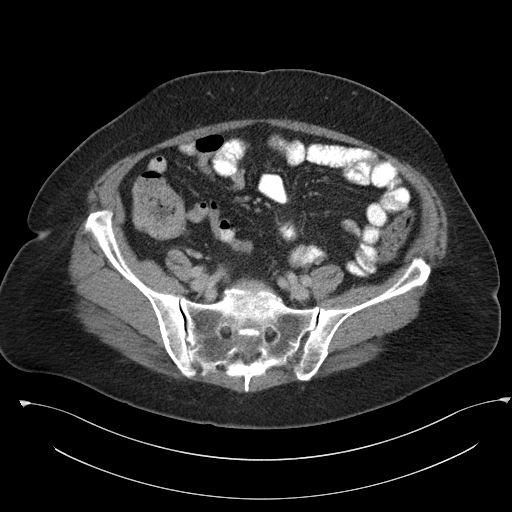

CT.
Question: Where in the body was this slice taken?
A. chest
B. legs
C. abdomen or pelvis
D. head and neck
Answer: C. abdomen or pelvis
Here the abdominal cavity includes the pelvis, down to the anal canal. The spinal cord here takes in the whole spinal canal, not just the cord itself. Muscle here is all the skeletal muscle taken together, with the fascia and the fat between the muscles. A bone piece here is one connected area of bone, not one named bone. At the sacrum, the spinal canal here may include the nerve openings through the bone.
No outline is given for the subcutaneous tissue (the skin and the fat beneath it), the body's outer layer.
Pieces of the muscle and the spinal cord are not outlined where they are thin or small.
The torso is outlined by 277,68 331,73 371,87 407,110 437,141 496,257 501,329 491,354 386,406 328,423 281,429 171,418 74,380 9,364 0,354 0,282 19,248 36,235 27,226 27,214 53,169 92,132 167,80 207,70. The abdominal cavity is outlined by 257,123 369,149 414,188 419,230 386,279 331,295 344,272 327,263 310,272 312,307 290,307 253,278 202,303 184,296 180,280 190,278 192,264 177,247 166,252 167,271 137,257 122,227 119,191 134,165. The spinal cord is outlined by 249,352 253,352 254,353 257,353 258,354 258,355 257,356 257,357 253,361 252,361 250,363 249,363 248,364 247,364 246,363 245,363 244,362 243,362 243,361 241,358 241,356 243,354 246,354. The muscle appears in 2 outlined pieces: piece 1: 247,118 288,118 323,126 367,142 409,163 431,182 440,196 447,215 448,241 445,257 431,272 418,315 395,335 390,347 358,366 310,380 327,357 337,329 348,317 420,287 429,278 431,265 419,255 389,287 358,304 325,308 318,305 312,291 311,272 327,264 335,264 343,272 343,279 329,294 331,296 352,286 380,284 397,270 404,263 405,255 420,230 422,208 415,188 389,160 369,148 263,122 204,136 142,157 118,186 125,211 121,227 139,260 153,260 167,272 165,259 170,249 177,248 187,257 191,275 187,280 179,280 185,293 155,290 134,273 118,245 111,209 91,211 83,224 83,232 91,234 112,266 147,298 164,349 177,369 191,379 197,374 197,367 203,377 215,373 217,367 222,366 227,376 243,378 244,392 239,393 205,382 178,381 127,358 87,333 72,305 68,265 75,235 87,212 89,190 108,167 178,134; piece 2: 300,349 297,361 293,366 293,372 295,375 295,377 299,381 301,381 293,381 288,383 276,385 256,392 248,392 250,389 250,381 253,377 264,375 266,373 266,371 271,367 285,366 288,363 289,359 292,358. The bones are outlined by 103,209 142,282 202,304 253,279 290,308 341,309 384,292 415,257 431,270 422,285 348,316 309,380 294,372 300,348 245,392 244,378 222,365 203,376 197,366 191,378 178,369 148,298 84,232 88,215 with holes at 249,352 253,352 254,353 257,353 258,354 258,355 257,356 257,357 253,361 252,361 250,363 249,363 248,364 247,364 246,363 245,363 244,362 243,362 243,361 241,358 241,356 243,354 246,354 and at 269,328 270,328 271,328 272,328 273,329 273,330 273,331 274,332 274,333 274,334 274,335 273,336 272,336 271,336 270,336 269,336 268,336 267,335 267,334 267,333 267,332 267,331 267,330 268,329.